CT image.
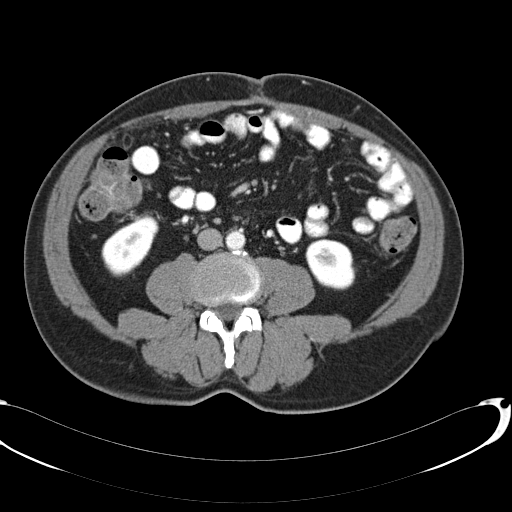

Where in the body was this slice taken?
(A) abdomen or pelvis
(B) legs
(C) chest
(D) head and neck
(A) abdomen or pelvis
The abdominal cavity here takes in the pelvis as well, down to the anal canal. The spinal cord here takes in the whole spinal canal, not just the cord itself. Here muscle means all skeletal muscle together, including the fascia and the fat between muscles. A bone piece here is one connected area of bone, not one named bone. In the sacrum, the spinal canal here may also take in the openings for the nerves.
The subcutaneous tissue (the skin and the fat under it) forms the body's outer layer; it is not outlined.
Outlined structures:
muscle: 261,94 280,101 311,106 343,117 365,127 389,142 425,171 435,189 444,218 445,233 443,259 439,278 435,289 425,305 416,311 412,316 400,319 391,325 376,329 369,335 351,340 347,343 330,344 307,377 301,383 284,392 273,396 261,395 259,393 249,390 242,385 231,371 224,372 217,381 200,388 184,387 170,384 164,382 151,370 138,351 135,351 131,347 119,341 109,339 94,329 86,320 75,315 68,307 64,306 59,301 50,283 42,249 42,233 47,203 55,182 76,151 86,143 116,125 137,116 182,104 212,100 241,99 247,98 252,95 with a hole at 251,104 384,146 413,184 420,231 408,271 354,327 338,313 294,313 316,295 308,270 257,257 262,329 234,339 226,368 222,339 199,327 191,253 147,277 161,313 128,307 114,325 82,285 68,234 111,137
spinal cord: 222,303 238,303 239,304 240,304 242,306 242,308 241,309 241,311 240,312 238,317 236,319 235,319 232,321 224,321 220,318 219,318 217,316 216,313 213,309 216,306 218,306
bones: 240,250 248,253 261,274 260,288 256,300 251,304 259,311 262,329 261,331 242,331 234,339 234,362 231,368 226,368 222,339 216,332 199,327 199,317 205,306 196,300 190,281 193,271 205,256 217,252 with a hole at 222,303 238,303 239,304 240,304 242,306 242,308 241,309 241,311 240,312 238,317 236,319 235,319 232,321 224,321 220,318 219,318 217,316 216,313 213,309 216,306 218,306
abdominal cavity: 251,104 382,145 399,161 420,223 408,271 354,327 338,313 294,313 316,295 301,264 269,256 254,261 243,249 198,262 184,251 145,282 161,313 128,307 112,324 82,285 69,248 72,211 94,157 117,133
torso: 206,71 257,78 297,73 350,89 392,119 444,181 463,238 459,300 441,338 379,395 309,414 263,411 227,392 192,405 139,403 84,383 41,338 26,297 23,248 30,208 44,177 82,132 120,103 161,82